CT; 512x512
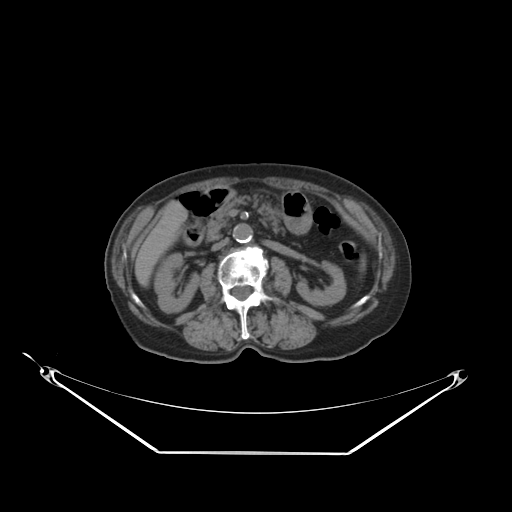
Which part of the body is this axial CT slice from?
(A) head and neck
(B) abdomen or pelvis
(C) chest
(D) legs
(B) abdomen or pelvis
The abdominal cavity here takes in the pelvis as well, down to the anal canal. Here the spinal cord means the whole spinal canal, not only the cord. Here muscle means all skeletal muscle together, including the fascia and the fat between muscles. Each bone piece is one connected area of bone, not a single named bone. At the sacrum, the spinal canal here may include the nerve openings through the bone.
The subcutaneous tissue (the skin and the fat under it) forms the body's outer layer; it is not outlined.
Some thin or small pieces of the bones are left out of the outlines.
abdominal cavity: [[245,182],[310,191],[331,202],[376,253],[368,292],[327,317],[290,298],[292,275],[286,262],[275,255],[268,259],[254,244],[235,248],[217,266],[210,262],[201,270],[198,286],[203,301],[197,307],[170,322],[156,317],[132,285],[140,244],[176,195]]
torso: [[233,162],[284,162],[324,168],[355,182],[383,205],[406,239],[412,268],[407,303],[387,333],[343,358],[302,363],[264,357],[251,348],[225,363],[186,362],[146,351],[130,339],[112,305],[104,279],[104,251],[116,220],[135,197],[166,177],[197,167]]
muscle: [[270,176],[311,182],[351,196],[378,215],[388,230],[395,254],[393,274],[380,294],[378,305],[356,322],[320,330],[312,341],[298,348],[267,348],[246,340],[251,335],[247,326],[250,308],[280,300],[266,293],[263,287],[271,257],[283,260],[289,269],[290,299],[333,318],[349,307],[361,306],[370,298],[368,293],[375,281],[372,262],[377,253],[332,202],[316,192],[245,181],[176,194],[139,244],[130,273],[133,289],[130,297],[139,307],[145,306],[156,318],[170,323],[204,301],[200,274],[208,264],[215,263],[220,301],[237,313],[239,335],[243,340],[228,352],[202,350],[187,343],[176,332],[140,320],[128,307],[111,268],[115,239],[133,211],[191,183],[217,177]], around a hole outlined by [[124,248],[126,250],[126,253],[127,254],[127,257],[124,260],[122,260],[122,252],[123,251],[123,249]]
bones 1: [[254,245],[263,250],[263,255],[268,260],[269,267],[262,280],[263,290],[279,300],[277,302],[267,300],[249,308],[246,326],[250,335],[243,339],[240,335],[238,313],[234,309],[228,309],[221,301],[222,288],[217,279],[217,267],[226,254],[235,249]]; inner edge: [[238,286],[249,286],[250,287],[251,287],[252,288],[252,291],[251,292],[251,293],[245,299],[244,299],[243,300],[240,300],[239,299],[238,299],[236,297],[235,297],[231,293],[231,290],[233,288],[234,288],[235,287],[237,287]]
bones 2: [[366,294],[368,294],[369,295],[369,298],[364,303],[363,303],[361,305],[360,305],[359,306],[357,306],[356,307],[351,307],[351,306],[354,303],[355,303],[360,298],[361,298],[364,295],[365,295]]
bones 3: [[132,292],[134,292],[138,296],[138,297],[141,300],[141,301],[143,303],[143,304],[144,305],[144,307],[141,307],[140,306],[139,306],[135,302],[135,301],[131,297],[131,293]]
spinal cord: [[238,286],[249,286],[250,287],[251,287],[252,288],[252,291],[251,292],[251,293],[245,299],[244,299],[243,300],[240,300],[239,299],[238,299],[236,297],[235,297],[231,293],[231,290],[233,288],[234,288],[235,287],[237,287]]